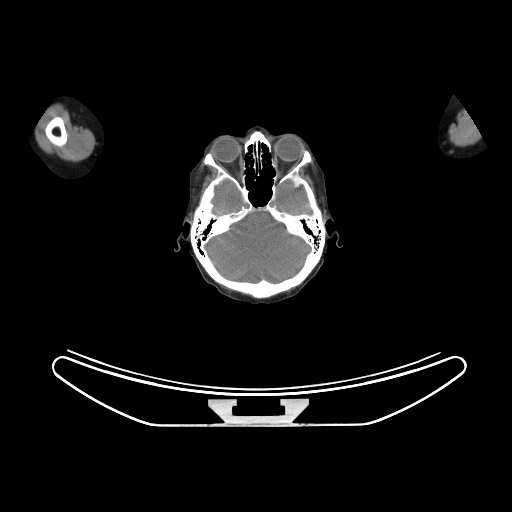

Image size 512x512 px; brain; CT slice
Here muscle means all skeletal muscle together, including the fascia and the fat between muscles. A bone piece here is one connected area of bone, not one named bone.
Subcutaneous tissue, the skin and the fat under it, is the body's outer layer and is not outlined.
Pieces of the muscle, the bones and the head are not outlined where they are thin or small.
{"bones":[{"outer":[[255,130],[263,132],[269,138],[272,148],[271,156],[276,164],[275,173],[280,177],[300,162],[303,148],[310,153],[311,161],[300,168],[299,174],[312,189],[326,228],[325,243],[319,261],[305,279],[295,287],[265,298],[255,298],[216,282],[197,259],[191,245],[189,232],[194,211],[200,197],[210,181],[217,174],[214,167],[206,165],[203,162],[205,155],[210,152],[214,161],[219,166],[237,177],[244,158],[244,138]],"holes":[[[258,212],[265,212],[274,221],[281,223],[289,234],[299,237],[309,247],[309,251],[305,255],[300,268],[292,275],[281,280],[270,281],[261,278],[257,281],[250,281],[229,278],[216,267],[206,245],[216,236],[227,232],[232,225],[243,220],[248,215]],[[262,144],[265,145],[270,155],[270,165],[274,173],[269,189],[269,196],[263,203],[254,203],[247,186],[247,164],[245,158],[248,156],[251,160],[250,166],[253,171],[252,180],[254,182],[261,175],[264,167],[264,154],[266,151],[261,146]],[[287,181],[289,181],[291,183],[291,185],[294,188],[298,188],[301,186],[303,188],[303,190],[305,193],[305,196],[307,200],[307,206],[311,211],[310,213],[308,213],[307,212],[291,213],[286,210],[279,209],[275,202],[277,198],[278,190],[279,188]],[[226,180],[228,180],[234,185],[235,188],[239,193],[239,195],[240,196],[242,203],[240,205],[239,208],[236,210],[232,210],[231,211],[228,211],[227,212],[224,212],[223,213],[215,213],[213,211],[213,209],[214,208],[213,199],[215,196],[215,188]]]},[[55,116],[59,116],[62,118],[63,120],[63,122],[64,123],[64,125],[65,126],[66,133],[67,134],[67,140],[65,144],[62,146],[57,146],[53,144],[49,140],[49,139],[47,137],[45,133],[45,128],[46,126],[48,124],[50,120]]],"muscle":[{"outer":[[59,102],[62,103],[67,108],[77,111],[80,113],[81,121],[92,131],[96,139],[97,143],[93,152],[89,157],[79,162],[66,161],[61,159],[56,155],[50,155],[45,153],[38,146],[35,136],[32,132],[36,124],[48,106],[50,104],[55,104]],"hole":[[55,116],[59,116],[62,118],[63,120],[63,122],[64,123],[64,125],[65,126],[66,133],[67,134],[67,140],[65,144],[62,146],[57,146],[53,144],[49,140],[49,139],[47,137],[45,133],[45,128],[46,126],[48,124],[50,120]]},[[463,107],[466,110],[467,113],[473,121],[473,123],[475,124],[475,126],[479,131],[479,133],[481,135],[482,138],[479,139],[476,143],[472,145],[466,146],[465,147],[457,147],[448,141],[447,130],[449,127],[449,125],[455,119],[456,114],[460,111]],[[202,163],[206,166],[211,166],[214,168],[216,171],[216,174],[209,181],[208,184],[202,191],[199,197],[198,202],[193,211],[192,221],[190,223],[188,220],[188,217],[189,216],[189,212],[192,208],[192,199],[195,185],[194,183],[196,175]],[[312,160],[317,173],[319,189],[323,197],[324,208],[326,211],[326,218],[325,220],[324,220],[323,218],[322,211],[318,204],[318,202],[316,198],[316,195],[313,189],[307,180],[300,174],[300,170],[301,168],[305,165],[310,163]]],"right_arm":[[[61,93],[71,94],[79,98],[86,105],[87,105],[100,121],[104,131],[104,143],[102,147],[102,155],[100,159],[95,163],[93,168],[88,174],[83,177],[77,179],[64,179],[54,174],[50,171],[34,154],[28,144],[28,140],[41,116],[56,96]]],"left_arm":[[[451,94],[453,94],[456,97],[466,110],[473,121],[473,123],[475,124],[475,126],[479,131],[479,133],[481,135],[487,148],[487,150],[485,152],[470,159],[462,160],[448,157],[444,155],[440,151],[438,147],[438,143],[436,138],[437,128],[442,112]]],"head":[{"outer":[[253,125],[307,141],[324,173],[334,219],[327,232],[336,229],[342,245],[330,238],[315,277],[293,297],[270,305],[220,294],[204,281],[184,240],[178,252],[173,250],[181,231],[186,235],[189,230],[182,225],[189,173],[206,144],[220,134],[242,136]],"hole":[[262,144],[265,145],[270,155],[270,165],[274,173],[269,189],[269,196],[263,203],[254,203],[247,186],[247,164],[245,158],[248,156],[251,160],[250,166],[253,171],[252,180],[254,182],[261,175],[264,167],[264,154],[266,151],[261,146]]}],"brain":[[[258,212],[265,212],[274,221],[281,223],[289,234],[299,237],[309,247],[309,251],[305,255],[300,268],[292,275],[281,280],[270,281],[261,278],[257,281],[250,281],[229,278],[216,267],[206,245],[216,236],[227,232],[232,225],[243,220],[248,215]],[[287,181],[289,181],[291,183],[291,185],[294,188],[298,188],[301,186],[303,188],[303,190],[305,193],[305,196],[307,200],[307,206],[311,211],[310,213],[308,213],[307,212],[291,213],[286,210],[279,209],[275,202],[277,198],[278,190],[279,188]],[[226,180],[228,180],[234,185],[235,188],[239,193],[239,195],[240,196],[242,203],[240,205],[239,208],[236,210],[232,210],[231,211],[228,211],[227,212],[224,212],[223,213],[215,213],[213,211],[213,209],[214,208],[213,199],[215,196],[215,188]]]}